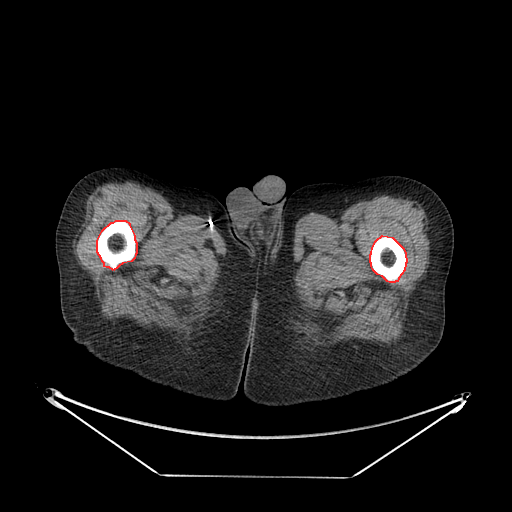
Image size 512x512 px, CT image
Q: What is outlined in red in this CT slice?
A: red: bones.
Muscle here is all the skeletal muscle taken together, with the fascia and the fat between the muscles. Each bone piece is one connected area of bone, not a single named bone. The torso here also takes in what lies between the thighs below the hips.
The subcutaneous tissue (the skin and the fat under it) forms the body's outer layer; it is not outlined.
The bones appear in 2 outlined pieces: piece 1: 116,220 125,220 129,223 129,225 134,235 134,239 136,242 136,253 135,254 134,258 131,261 122,263 113,270 109,267 106,267 104,266 104,263 102,261 101,258 97,252 97,240 102,230 111,222 113,222; piece 2: 382,235 392,237 403,248 405,253 406,262 405,263 404,270 398,278 397,281 395,281 394,282 389,282 387,281 382,276 377,274 373,270 371,266 371,263 370,262 370,254 371,253 372,247 376,240. The right leg is outlined by 112,166 139,169 162,179 213,194 223,205 229,230 255,258 258,274 254,288 253,323 245,367 237,392 232,399 227,401 206,399 151,382 131,371 99,360 74,341 61,312 55,231 64,202 72,187 86,174. The torso is outlined by 268,174 277,175 284,180 286,184 285,195 287,197 288,196 288,197 282,214 279,232 273,252 258,272 256,258 238,241 230,230 230,222 224,205 226,195 232,189 239,186 244,186 251,189 256,181. The left leg is outlined by 379,175 400,175 424,183 437,193 451,216 454,247 445,285 445,324 439,344 425,360 405,375 371,389 288,406 266,406 250,401 244,395 243,382 254,323 255,288 260,270 274,252 289,196 308,184 346,184. The muscle appears in 2 outlined pieces: piece 1: 128,180 152,188 181,211 210,220 225,243 224,267 207,306 209,307 206,311 207,315 203,317 197,332 189,339 152,335 132,325 114,325 104,319 93,282 77,263 72,252 73,240 84,220 88,196 104,183; inner edge: 116,220 125,220 129,223 129,225 134,235 134,239 136,242 136,253 135,254 134,258 131,261 122,263 113,270 109,267 106,267 104,266 104,263 102,261 101,258 97,252 97,240 102,230 111,222 113,222; piece 2: 382,194 416,201 427,218 429,263 427,271 416,283 409,297 403,324 405,335 391,345 350,339 307,348 308,344 301,332 301,308 293,279 295,270 291,255 291,239 295,224 310,212 346,209 360,200 369,200; inner edge: 382,235 392,237 403,248 405,253 406,262 405,263 404,270 398,278 397,281 395,281 394,282 389,282 387,281 382,276 377,274 373,270 371,266 371,263 370,262 370,254 371,253 372,247 376,240.